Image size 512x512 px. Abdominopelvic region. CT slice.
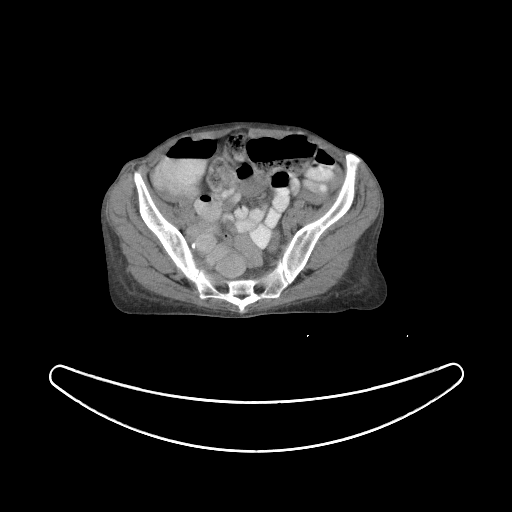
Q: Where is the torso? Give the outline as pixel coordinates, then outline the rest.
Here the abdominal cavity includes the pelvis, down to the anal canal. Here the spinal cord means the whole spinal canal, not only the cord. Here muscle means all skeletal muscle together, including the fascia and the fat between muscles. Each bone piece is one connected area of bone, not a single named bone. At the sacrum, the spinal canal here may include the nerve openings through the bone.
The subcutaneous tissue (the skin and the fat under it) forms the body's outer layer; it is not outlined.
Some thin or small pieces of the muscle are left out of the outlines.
A: torso: 228 121; 264 121; 305 127; 337 146; 354 152; 368 164; 384 196; 377 261; 388 291; 385 301; 379 307; 337 313; 290 313; 224 319; 195 315; 134 315; 114 306; 108 292; 100 223; 100 208; 105 191; 129 159; 145 154; 180 131
muscle 1: 234 126; 304 132; 346 153; 344 165; 319 143; 299 132; 277 135; 237 129; 218 138; 185 136; 175 140; 149 169; 147 180; 159 199; 171 207; 176 208; 182 201; 191 204; 194 222; 181 229; 157 207; 140 171; 136 169; 133 172; 141 219; 175 266; 195 286; 198 297; 226 301; 236 306; 239 313; 184 303; 138 282; 130 274; 118 239; 105 216; 109 193; 132 162; 146 158; 179 136
muscle 2: 362 162; 375 182; 379 193; 380 207; 373 223; 357 241; 350 265; 342 278; 337 284; 314 299; 287 306; 283 305; 244 313; 248 305; 261 299; 277 299; 283 290; 290 285; 304 269; 321 235; 351 207; 355 198; 357 171; 359 164
muscle 3: 336 194; 336 196; 333 202; 323 214; 316 219; 312 220; 302 225; 301 227; 299 228; 295 227; 288 219; 287 216; 287 210; 289 206; 293 202; 295 201; 303 201; 305 202; 306 205; 308 207; 310 207; 313 209; 319 209; 331 200
muscle 4: 276 261; 276 263; 275 264; 274 267; 269 272; 268 272; 265 274; 263 274; 260 276; 258 276; 257 277; 249 277; 255 277; 256 276; 257 276; 259 274; 261 274; 262 273; 267 271; 269 269; 269 268; 270 268; 276 262
muscle 5: 196 261; 199 264; 200 264; 203 267; 204 267; 207 270; 208 270; 208 271; 209 272; 209 273; 208 273; 206 271; 205 271; 205 270; 204 269; 203 269; 201 267; 199 267; 197 265; 197 263; 196 262
bones: 347 153; 361 159; 350 207; 320 235; 303 269; 277 298; 261 298; 248 304; 243 313; 226 300; 200 298; 196 286; 139 213; 133 177; 138 170; 156 207; 191 247; 199 268; 218 280; 257 278; 275 267; 298 229; 332 205; 344 180, around holes outlined by 258 286; 259 286; 260 286; 261 286; 262 287; 263 288; 263 289; 263 290; 263 291; 262 292; 261 293; 260 293; 259 293; 258 293; 257 292; 256 291; 256 290; 256 289; 256 288; 257 287 and by 222 286; 223 286; 224 286; 225 286; 226 287; 227 288; 227 289; 227 290; 227 291; 226 292; 225 293; 224 293; 223 293; 222 293; 221 292; 220 291; 220 290; 220 289; 220 288; 221 287
abdominal cavity: 237 130; 258 135; 304 134; 345 170; 337 193; 319 208; 303 200; 288 206; 287 219; 297 229; 267 270; 255 276; 224 278; 211 274; 196 260; 180 230; 195 222; 192 204; 182 200; 173 207; 160 199; 148 172; 175 141; 218 139
spinal cord: 238 294; 239 294; 240 294; 241 294; 242 294; 243 294; 244 294; 245 294; 246 295; 245 296; 244 297; 243 297; 242 297; 241 298; 240 297; 239 297; 238 297; 237 296; 236 296; 236 295; 237 295